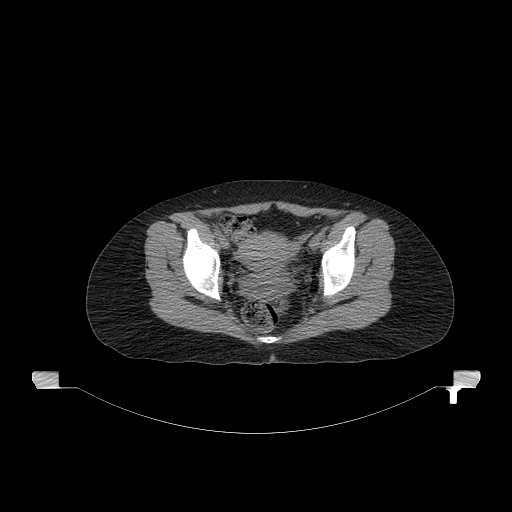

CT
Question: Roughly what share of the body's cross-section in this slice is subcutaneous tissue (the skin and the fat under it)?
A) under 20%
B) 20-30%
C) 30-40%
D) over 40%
Answer: D) over 40%
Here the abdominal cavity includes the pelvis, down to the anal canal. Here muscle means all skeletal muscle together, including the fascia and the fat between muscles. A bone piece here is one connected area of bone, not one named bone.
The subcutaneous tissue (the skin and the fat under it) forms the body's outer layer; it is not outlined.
Outlines:
abdominal cavity: [[272,206],[296,216],[307,217],[317,214],[335,221],[322,236],[317,292],[308,307],[291,326],[281,332],[267,334],[247,325],[236,315],[223,289],[224,270],[220,257],[222,246],[218,234],[212,230],[206,219],[226,211],[255,214],[266,211]]
bones 1: [[193,227],[197,230],[200,239],[203,242],[207,243],[211,247],[214,248],[219,254],[220,258],[220,269],[217,280],[218,292],[221,299],[219,301],[212,297],[205,295],[195,289],[191,285],[185,274],[183,268],[182,257],[187,245],[187,231],[190,228]]
bones 2: [[348,226],[353,226],[356,230],[355,240],[354,241],[355,263],[354,264],[354,269],[353,270],[352,276],[350,279],[349,283],[343,289],[330,296],[324,296],[323,295],[323,274],[321,269],[321,258],[322,255],[328,248],[336,244],[341,239],[345,228]]
bones 3: [[262,335],[273,335],[274,336],[280,336],[281,337],[281,339],[280,340],[279,340],[278,341],[277,341],[276,342],[274,342],[273,343],[264,343],[263,342],[261,342],[260,341],[259,341],[258,340],[257,340],[256,339],[256,337],[257,336],[261,336]]
muscle: [[270,200],[308,207],[360,210],[385,220],[395,244],[390,310],[361,329],[329,331],[295,342],[273,344],[282,339],[274,334],[291,327],[304,315],[318,292],[320,269],[324,297],[336,294],[350,283],[356,263],[357,230],[353,225],[346,226],[340,239],[322,252],[323,236],[329,232],[334,219],[317,213],[296,215],[272,205],[255,213],[226,210],[206,218],[217,234],[221,246],[219,253],[201,239],[195,227],[190,227],[186,231],[181,257],[190,285],[219,302],[222,300],[218,284],[221,267],[222,289],[235,315],[247,326],[266,334],[257,335],[257,341],[271,344],[255,346],[222,333],[173,326],[158,318],[148,304],[150,288],[144,275],[143,246],[149,225],[173,212]]
torso: [[239,179],[295,179],[321,182],[375,199],[410,218],[437,250],[452,281],[454,314],[446,335],[431,346],[395,359],[312,364],[170,363],[152,359],[130,358],[101,343],[94,335],[86,315],[86,287],[94,261],[113,235],[134,216],[160,201],[209,185]]